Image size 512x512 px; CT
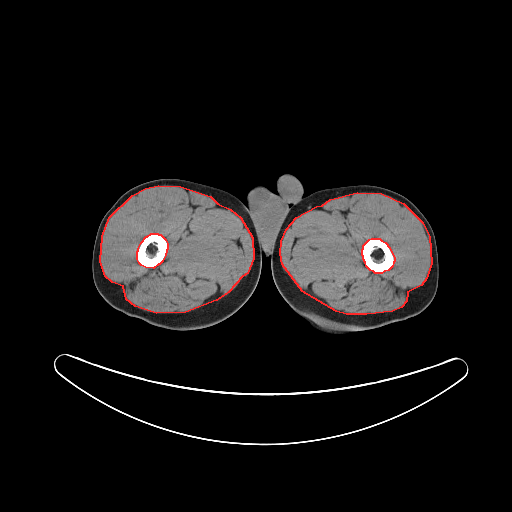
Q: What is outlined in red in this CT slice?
A: red: muscle.
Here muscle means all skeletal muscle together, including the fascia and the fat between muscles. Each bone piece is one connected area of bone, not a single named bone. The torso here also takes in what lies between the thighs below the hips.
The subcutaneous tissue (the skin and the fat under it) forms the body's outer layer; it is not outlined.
The muscle appears in 2 outlined pieces: piece 1: 158,185 180,186 210,196 217,203 230,209 240,217 252,237 253,258 247,273 242,276 228,292 216,300 185,312 156,313 135,306 126,299 123,286 112,282 105,276 100,261 102,236 109,217 132,195 145,188 with a hole at 151,233 157,233 158,234 160,234 165,239 167,243 167,249 166,250 165,255 162,261 159,264 158,264 153,268 145,267 141,265 139,263 137,259 137,251 138,250 138,248 141,242 146,236 147,236; piece 2: 357,192 381,193 403,203 422,222 429,236 431,263 426,278 421,285 407,292 406,301 401,307 392,311 366,314 346,314 336,311 302,291 282,264 280,253 281,241 286,229 296,217 316,206 322,205 330,199 with a hole at 371,238 379,238 381,240 385,242 389,247 394,258 394,261 393,262 392,266 388,270 384,271 381,273 375,273 373,271 370,270 366,266 365,262 363,259 363,256 362,255 362,249 363,248 363,245 369,239. The right leg is outlined by 160,178 184,179 223,189 236,196 245,204 252,219 262,257 259,280 254,291 241,307 225,319 213,325 190,330 175,330 155,326 113,308 103,299 95,287 92,277 92,252 96,232 104,214 128,189 143,182. The torso appears in 2 outlined pieces: piece 1: 282,173 290,173 300,180 303,186 302,195 304,196 303,198 292,203 289,206 278,228 273,243 271,257 264,255 262,256 255,225 246,205 246,196 248,191 255,185 266,186 272,192 275,193 277,191 277,178; piece 2: 300,316 304,318 306,318 309,320 313,321 321,328 323,328 324,329 327,329 328,330 334,331 335,332 354,332 350,335 343,335 342,334 328,334 327,333 321,333 317,330 315,330 311,328 306,323 305,320. The bones appear in 2 outlined pieces: piece 1: 371,238 379,238 381,240 385,242 389,247 394,258 394,261 393,262 392,266 388,270 384,271 381,273 375,273 373,271 370,270 366,266 365,262 363,259 363,256 362,255 362,249 363,248 363,245 369,239; piece 2: 151,233 157,233 158,234 160,234 165,239 167,243 167,249 166,250 165,255 162,261 159,264 158,264 153,268 145,267 141,265 139,263 137,259 137,251 138,250 138,248 141,242 146,236 147,236. The left leg is outlined by 359,184 375,185 393,190 409,199 426,217 434,232 437,246 439,265 438,285 431,303 415,316 368,330 355,332 335,331 321,327 313,320 299,315 285,301 279,293 272,277 271,258 279,228 292,204 321,189.